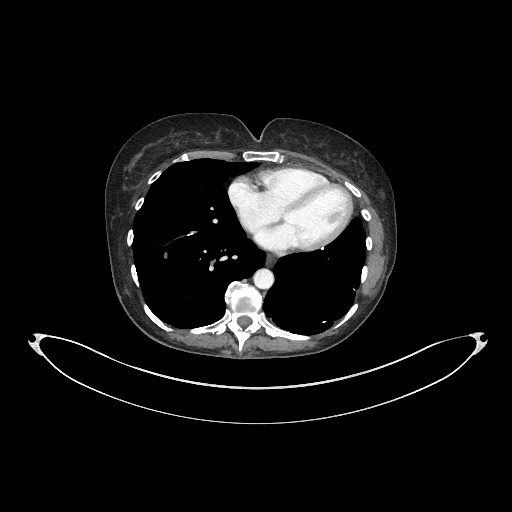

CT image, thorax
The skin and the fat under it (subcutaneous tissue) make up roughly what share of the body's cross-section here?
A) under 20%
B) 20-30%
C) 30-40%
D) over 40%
B) 20-30%
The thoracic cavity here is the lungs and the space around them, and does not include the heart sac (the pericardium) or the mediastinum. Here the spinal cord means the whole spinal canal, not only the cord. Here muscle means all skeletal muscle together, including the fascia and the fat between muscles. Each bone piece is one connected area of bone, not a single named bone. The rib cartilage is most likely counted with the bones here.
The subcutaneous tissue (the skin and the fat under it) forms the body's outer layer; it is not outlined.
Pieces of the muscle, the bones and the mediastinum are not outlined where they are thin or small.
{"bones":[{"outer":[[239,352],[242,351],[245,340],[261,327],[272,337],[307,340],[310,336],[294,334],[271,323],[261,308],[263,298],[258,291],[245,282],[233,281],[225,292],[224,299],[227,306],[222,317],[208,325],[189,329],[189,332],[220,334],[229,329],[238,340]],"hole":[[242,328],[244,328],[245,327],[246,327],[249,324],[250,324],[250,323],[251,322],[251,320],[250,319],[250,318],[249,318],[247,316],[241,316],[240,317],[239,317],[238,318],[238,319],[237,320],[237,321],[238,322],[238,323],[239,324],[239,325]]},[[172,163],[175,163],[179,161],[190,160],[193,158],[200,158],[201,157],[228,160],[234,158],[236,156],[236,154],[232,152],[219,152],[218,151],[211,151],[210,152],[203,150],[197,150],[196,151],[186,152],[181,154],[177,158],[173,159],[172,160]],[[276,163],[283,163],[285,161],[285,156],[278,151],[274,151],[273,150],[271,151],[254,151],[253,150],[247,150],[246,151],[244,151],[241,154],[242,159],[244,161],[253,161],[254,160],[265,160],[266,161],[271,161],[272,162],[275,162]],[[166,331],[173,331],[173,328],[171,326],[169,326],[165,323],[164,323],[158,317],[157,317],[151,311],[151,310],[148,307],[146,303],[145,302],[143,302],[142,306],[143,307],[143,309],[145,313],[154,323],[155,323],[159,327],[160,327],[162,329]],[[330,329],[334,329],[335,328],[337,328],[339,326],[340,326],[344,322],[345,322],[355,312],[355,311],[357,309],[357,308],[358,307],[358,303],[356,301],[350,307],[349,310],[345,314],[345,315],[338,322],[337,322],[335,324],[334,324],[330,328]],[[358,198],[359,198],[360,197],[361,197],[361,193],[360,192],[360,191],[358,189],[358,188],[357,187],[356,187],[353,184],[352,184],[351,183],[350,183],[348,181],[344,181],[344,185],[351,192],[351,193],[355,197],[357,197]],[[137,287],[139,287],[139,283],[138,282],[138,279],[137,278],[137,274],[136,273],[136,270],[135,269],[135,265],[134,264],[134,263],[132,263],[130,266],[130,270],[131,271],[131,274],[132,275],[132,278],[134,281],[134,283],[136,285],[136,286]],[[149,185],[150,185],[154,181],[155,181],[158,178],[158,177],[161,174],[161,173],[162,172],[162,171],[161,170],[157,170],[156,171],[155,171],[150,176],[150,177],[148,179],[148,180],[147,181],[147,183]],[[365,221],[369,221],[370,220],[370,219],[371,218],[371,215],[370,214],[370,213],[369,212],[369,211],[366,208],[362,208],[360,210],[360,212],[361,213],[361,215],[362,216],[362,218]],[[136,211],[137,211],[141,207],[141,206],[142,205],[142,204],[143,203],[143,201],[144,200],[144,197],[143,196],[141,196],[137,200],[137,201],[136,202],[136,203],[135,204],[135,206],[134,207],[134,208],[135,209],[135,210]]],"mediastinum":[[[263,297],[264,297],[265,294],[274,281],[274,275],[272,271],[273,266],[281,256],[290,254],[282,254],[281,255],[278,255],[277,254],[271,254],[264,251],[266,253],[266,259],[264,265],[262,267],[258,268],[250,277],[242,280],[251,284],[255,287]],[[227,190],[227,188],[228,187],[228,184],[235,177],[230,177],[229,178],[227,178],[227,179],[225,181],[225,182],[224,183],[224,185],[227,188]]],"muscle":[[[238,355],[314,347],[339,333],[374,298],[384,279],[388,247],[382,220],[361,189],[359,189],[362,197],[355,198],[360,209],[366,207],[372,215],[369,222],[364,222],[367,235],[373,240],[373,246],[366,255],[368,275],[356,295],[359,303],[356,312],[337,329],[311,336],[307,341],[272,338],[261,328],[246,340],[243,351],[239,353],[237,340],[229,330],[220,335],[191,334],[188,329],[178,328],[174,328],[173,332],[166,332],[144,313],[141,306],[143,296],[133,283],[129,270],[133,262],[132,249],[126,245],[125,240],[136,212],[134,204],[141,195],[145,196],[149,188],[146,181],[150,175],[139,185],[127,210],[119,249],[123,285],[136,312],[149,328],[170,340]],[[356,186],[344,174],[337,171],[327,164],[314,157],[280,148],[277,148],[274,150],[278,150],[286,156],[286,161],[284,163],[286,164],[293,164],[296,166],[309,167],[324,173],[331,177],[332,179],[334,179],[342,184],[343,184],[344,180],[348,180]],[[229,160],[242,160],[241,159],[240,154],[244,150],[246,150],[245,150],[244,149],[235,149],[234,150],[204,150],[209,150],[210,151],[211,150],[218,150],[219,151],[232,151],[233,152],[235,152],[237,154],[237,156],[234,159]],[[163,171],[167,167],[168,167],[170,165],[171,165],[171,160],[172,159],[171,159],[170,160],[168,160],[167,161],[166,161],[165,162],[164,162],[163,163],[162,163],[159,166],[159,167],[158,168],[157,168],[155,170],[156,170],[157,169],[161,169]]],"thoracic_cavity":[[[179,328],[205,325],[220,318],[226,306],[223,296],[227,285],[233,280],[250,276],[264,263],[265,253],[245,235],[223,185],[227,177],[249,170],[256,165],[256,161],[201,158],[172,164],[150,186],[142,207],[136,213],[132,248],[144,299],[164,322]],[[308,335],[321,333],[329,329],[355,301],[355,295],[360,284],[360,272],[366,254],[364,244],[366,233],[362,225],[362,219],[358,216],[354,217],[345,229],[324,248],[283,256],[274,266],[275,281],[263,300],[262,308],[267,318],[277,326],[294,333]]],"spinal_cord":[[[242,328],[244,328],[245,327],[246,327],[249,324],[250,324],[250,323],[251,322],[251,320],[250,319],[250,318],[249,318],[247,316],[241,316],[240,317],[239,317],[238,318],[238,319],[237,320],[237,321],[238,322],[238,323],[239,324],[239,325]]],"torso":[[[235,360],[320,353],[359,328],[381,299],[396,259],[397,223],[392,186],[369,150],[351,136],[323,123],[276,117],[264,126],[257,138],[233,114],[199,111],[171,114],[131,135],[118,150],[107,174],[104,219],[114,289],[131,321],[154,341],[186,353]]],"pericardium":[[[278,254],[309,251],[322,248],[333,240],[344,229],[354,213],[355,201],[347,189],[320,172],[310,170],[309,168],[296,167],[293,165],[269,165],[259,167],[236,177],[229,184],[227,191],[229,199],[236,212],[240,224],[246,235],[258,247],[271,253]]]}